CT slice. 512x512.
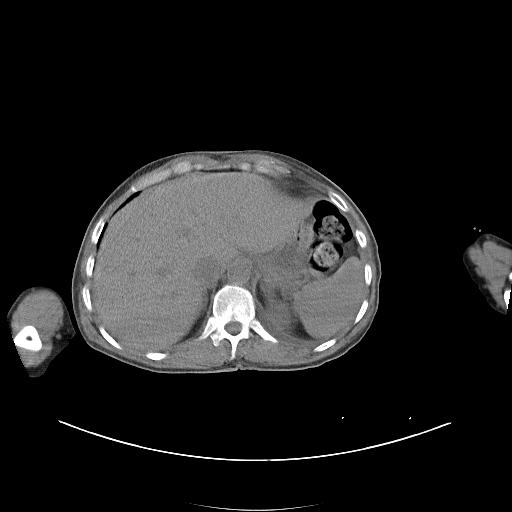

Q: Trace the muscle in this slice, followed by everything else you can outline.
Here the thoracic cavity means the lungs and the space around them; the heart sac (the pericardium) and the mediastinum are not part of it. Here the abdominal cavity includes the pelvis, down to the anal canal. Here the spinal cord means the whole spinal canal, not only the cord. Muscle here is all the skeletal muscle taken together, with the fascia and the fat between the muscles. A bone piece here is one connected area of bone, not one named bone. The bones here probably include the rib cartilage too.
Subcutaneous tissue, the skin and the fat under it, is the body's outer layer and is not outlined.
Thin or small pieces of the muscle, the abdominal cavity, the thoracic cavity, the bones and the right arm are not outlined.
A: The muscle appears in 5 outlined pieces: piece 1: (345, 200) (357, 214) (370, 239) (376, 270) (375, 293) (372, 311) (366, 324) (349, 342) (333, 353) (307, 363) (290, 365) (266, 365) (248, 360) (241, 362) (234, 360) (207, 368) (156, 367) (111, 351) (91, 340) (86, 334) (78, 306) (78, 284) (85, 245) (92, 229) (90, 240) (95, 245) (95, 255) (90, 254) (86, 259) (85, 274) (90, 278) (90, 284) (89, 287) (86, 284) (82, 286) (81, 296) (86, 309) (89, 312) (93, 309) (100, 324) (98, 326) (99, 332) (115, 348) (121, 350) (122, 346) (125, 346) (144, 352) (144, 356) (150, 360) (159, 361) (168, 356) (167, 350) (179, 344) (196, 337) (198, 340) (209, 337) (215, 347) (220, 344) (221, 340) (226, 339) (230, 343) (229, 358) (234, 360) (238, 343) (242, 339) (253, 338) (256, 334) (263, 340) (274, 344) (279, 342) (278, 338) (306, 346) (314, 352) (326, 350) (337, 341) (336, 336) (352, 322) (356, 324) (365, 314) (368, 308) (368, 300) (364, 298) (365, 287) (369, 286) (372, 280) (372, 268) (367, 262) (364, 264) (360, 248) (364, 249) (367, 246) (366, 236) (360, 229) (352, 229) (344, 213) (349, 211); piece 2: (41, 289) (53, 293) (58, 298) (63, 310) (62, 325) (55, 332) (55, 336) (53, 337) (53, 347) (50, 354) (38, 365) (26, 366) (23, 365) (15, 346) (28, 351) (39, 351) (43, 345) (39, 332) (33, 324) (27, 323) (12, 337) (9, 322) (23, 298) (33, 290); piece 3: (487, 240) (508, 246) (511, 249) (511, 270) (507, 275) (508, 280) (511, 282) (511, 288) (505, 288) (502, 294) (504, 303) (507, 307) (506, 311) (494, 299) (485, 286) (482, 277) (475, 272) (474, 263) (468, 255) (468, 251) (471, 247) (476, 244) (481, 244); piece 4: (250, 153) (258, 153) (268, 155) (288, 163) (294, 168) (300, 170) (306, 175) (326, 184) (336, 191) (337, 192) (336, 192) (333, 190) (329, 190) (327, 192) (327, 195) (322, 193) (321, 191) (307, 181) (297, 176) (291, 174) (290, 175) (276, 175) (277, 174) (287, 175) (290, 173) (290, 170) (282, 165) (279, 165) (275, 163) (273, 160) (265, 158) (257, 159) (252, 164) (249, 162) (243, 161) (238, 165) (238, 167) (227, 167) (228, 165) (224, 164) (221, 167) (216, 168) (204, 168) (204, 165) (201, 162) (193, 163) (189, 160) (181, 160) (168, 167) (153, 172) (130, 185) (136, 178) (144, 173) (151, 171) (166, 162) (178, 157) (188, 155) (202, 155) (212, 159) (225, 160) (232, 155) (249, 154); piece 5: (128, 188) (128, 191) (130, 194) (126, 197) (125, 199) (121, 202) (121, 203) (119, 204) (119, 205) (113, 211) (111, 215) (109, 216) (109, 218) (106, 221) (105, 220) (105, 218) (103, 216) (101, 216) (100, 217) (107, 206) (111, 202) (122, 194). The abdominal cavity is outlined by (217, 168) (297, 177) (343, 212) (361, 252) (365, 286) (353, 320) (335, 337) (318, 344) (279, 330) (254, 300) (255, 263) (248, 256) (229, 265) (199, 335) (165, 351) (145, 352) (122, 345) (100, 323) (90, 285) (96, 245) (110, 216) (126, 198) (152, 184) (192, 170). The mediastinum is outlined by (240, 257) (248, 257) (251, 259) (254, 263) (254, 275) (250, 286) (251, 287) (250, 288) (251, 289) (251, 292) (244, 286) (238, 285) (237, 284) (232, 284) (231, 283) (225, 283) (217, 291) (216, 291) (217, 287) (220, 284) (224, 276) (228, 271) (230, 265) (234, 260). The torso is outlined by (242, 149) (270, 150) (307, 163) (337, 184) (366, 218) (378, 246) (381, 279) (377, 312) (365, 335) (335, 359) (316, 367) (289, 371) (238, 369) (215, 373) (159, 373) (124, 363) (87, 345) (76, 323) (71, 280) (84, 233) (102, 202) (133, 171) (159, 157) (188, 150). The right arm is outlined by (34, 284) (44, 284) (50, 286) (55, 289) (62, 296) (68, 309) (72, 325) (75, 330) (75, 335) (69, 344) (52, 361) (45, 373) (42, 376) (36, 378) (33, 378) (28, 374) (21, 361) (21, 359) (15, 347) (15, 344) (6, 316) (8, 309) (19, 293) (24, 288). The thoracic cavity is outlined by (255, 301) (261, 308) (262, 311) (265, 314) (271, 323) (279, 331) (290, 337) (301, 339) (308, 342) (312, 342) (317, 344) (317, 345) (314, 348) (312, 348) (303, 344) (299, 344) (292, 341) (281, 339) (271, 334) (263, 326) (263, 325) (259, 321) (256, 316). The bones appear in 14 outlined pieces: piece 1: (225, 284) (244, 287) (251, 293) (256, 318) (278, 342) (274, 343) (265, 340) (254, 333) (253, 337) (242, 338) (237, 343) (235, 357) (231, 359) (231, 343) (226, 338) (221, 339) (217, 346) (213, 344) (209, 336) (204, 339) (198, 339) (208, 318) (212, 314) (213, 297), around a hole outlined by (232, 321) (233, 321) (234, 322) (238, 322) (241, 325) (241, 328) (240, 329) (240, 330) (239, 331) (239, 332) (238, 332) (236, 334) (232, 334) (231, 333) (230, 333) (229, 332) (228, 332) (225, 329) (225, 326) (228, 323) (229, 323) (230, 322) (231, 322); piece 2: (181, 161) (189, 161) (193, 164) (195, 163) (201, 163) (203, 165) (203, 168) (200, 168) (199, 169) (192, 169) (190, 171) (187, 171) (183, 173) (173, 174) (160, 181) (152, 183) (133, 193) (130, 193) (129, 188) (131, 185) (135, 184) (141, 179) (153, 173) (168, 168); piece 3: (27, 324) (31, 324) (33, 325) (36, 328) (38, 332) (38, 334) (39, 335) (39, 337) (41, 341) (41, 344) (42, 345) (41, 346) (41, 348) (37, 351) (28, 350) (22, 347) (18, 347) (16, 346) (14, 343) (14, 341) (13, 340) (13, 337) (24, 325) (26, 325); piece 4: (260, 159) (265, 159) (273, 161) (275, 164) (279, 166) (282, 166) (284, 168) (289, 170) (289, 173) (287, 174) (277, 173) (275, 175) (272, 175) (256, 171) (252, 168) (249, 170) (242, 169) (239, 167) (239, 165) (241, 163) (246, 162) (252, 165) (257, 160); piece 5: (329, 191) (333, 191) (334, 192) (337, 193) (339, 195) (340, 195) (344, 199) (344, 200) (346, 202) (346, 203) (347, 204) (347, 206) (348, 207) (348, 211) (347, 211) (346, 212) (344, 212) (343, 211) (342, 211) (334, 203) (333, 203) (328, 198) (328, 192); piece 6: (101, 217) (103, 217) (104, 218) (104, 220) (105, 221) (105, 224) (100, 234) (100, 236) (97, 241) (97, 243) (96, 244) (94, 244) (91, 240) (91, 234) (92, 233) (92, 231) (93, 230) (93, 228) (94, 226) (96, 224) (98, 220); piece 7: (84, 285) (86, 285) (89, 288) (89, 293) (90, 294) (90, 299) (91, 300) (91, 305) (92, 306) (92, 310) (91, 311) (89, 311) (87, 309) (87, 308) (85, 306) (85, 305) (84, 304) (84, 301) (83, 300) (83, 297) (82, 296) (82, 289) (83, 288) (83, 286); piece 8: (100, 325) (102, 325) (103, 326) (103, 327) (105, 329) (105, 330) (122, 347) (122, 348) (121, 349) (119, 349) (118, 348) (115, 347) (113, 345) (112, 345) (109, 342) (108, 342) (106, 340) (106, 339) (102, 335) (102, 334) (100, 332) (100, 331) (99, 330) (99, 326); piece 9: (364, 299) (366, 299) (367, 300) (367, 308) (366, 309) (366, 310) (365, 311) (364, 314) (362, 316) (362, 317) (356, 323) (354, 323) (354, 322) (353, 321) (356, 316) (356, 314) (358, 312) (358, 310) (359, 309) (359, 308) (362, 303) (362, 301); piece 10: (148, 351) (150, 351) (151, 352) (165, 352) (166, 353) (167, 353) (167, 356) (166, 356) (164, 358) (163, 358) (162, 359) (160, 359) (159, 360) (154, 360) (153, 359) (150, 359) (149, 358) (148, 358) (147, 357) (146, 357) (145, 356) (145, 353) (146, 352) (147, 352); piece 11: (356, 229) (358, 229) (359, 230) (360, 230) (364, 234) (364, 235) (365, 236) (365, 238) (366, 239) (366, 246) (364, 248) (362, 248) (359, 245) (359, 244) (358, 243) (358, 242) (357, 241) (357, 240) (356, 239) (356, 238) (355, 237) (355, 236) (354, 235) (354, 231); piece 12: (332, 338) (335, 338) (336, 339) (336, 341) (331, 346) (330, 346) (329, 347) (328, 347) (326, 349) (325, 349) (324, 350) (322, 350) (321, 351) (314, 351) (313, 350) (313, 349) (314, 349) (319, 344) (320, 344) (321, 343) (322, 343) (327, 340) (329, 340); piece 13: (90, 255) (92, 255) (94, 257) (94, 263) (93, 264) (93, 269) (92, 270) (92, 272) (91, 273) (91, 276) (90, 277) (89, 277) (88, 276) (87, 276) (87, 275) (86, 274) (86, 263) (87, 262) (87, 259) (88, 258) (88, 257); piece 14: (367, 263) (370, 266) (370, 267) (371, 268) (371, 280) (370, 281) (370, 283) (369, 284) (369, 285) (366, 285) (366, 284) (365, 283) (365, 280) (364, 279) (364, 265) (365, 264) (366, 264). The spinal cord is outlined by (232, 321) (233, 321) (234, 322) (238, 322) (241, 325) (241, 328) (240, 329) (240, 330) (239, 331) (239, 332) (238, 332) (236, 334) (232, 334) (231, 333) (230, 333) (229, 332) (228, 332) (225, 329) (225, 326) (228, 323) (229, 323) (230, 322) (231, 322). The left arm is outlined by (479, 229) (483, 232) (490, 232) (493, 233) (511, 242) (511, 294) (507, 302) (507, 310) (505, 314) (501, 314) (497, 312) (487, 303) (484, 296) (480, 292) (477, 285) (471, 279) (462, 261) (462, 258) (461, 257) (462, 256) (461, 255) (464, 246) (473, 240) (479, 234).